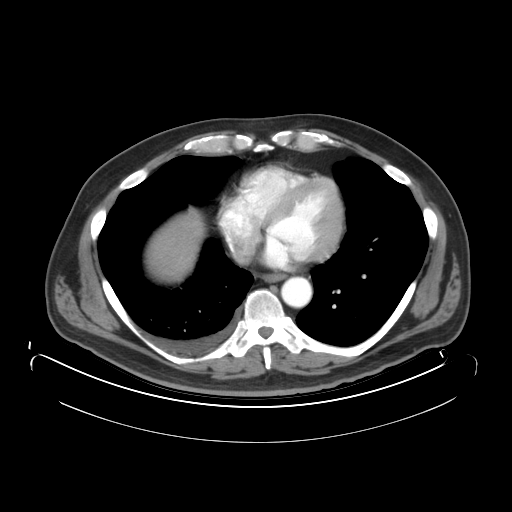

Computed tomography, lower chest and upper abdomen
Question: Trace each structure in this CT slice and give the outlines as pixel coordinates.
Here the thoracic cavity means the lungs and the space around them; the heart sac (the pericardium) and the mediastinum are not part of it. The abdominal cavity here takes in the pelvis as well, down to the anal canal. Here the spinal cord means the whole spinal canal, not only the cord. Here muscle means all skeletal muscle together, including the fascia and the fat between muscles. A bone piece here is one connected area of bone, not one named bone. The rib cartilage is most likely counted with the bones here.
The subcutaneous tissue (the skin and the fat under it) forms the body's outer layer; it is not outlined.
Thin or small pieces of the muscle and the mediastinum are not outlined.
Answer: {"torso":[[[293,113],[330,114],[373,127],[421,157],[444,182],[467,232],[471,271],[467,319],[451,343],[335,389],[285,397],[230,398],[148,383],[65,341],[56,332],[45,304],[48,260],[81,186],[100,165],[153,134],[183,124],[218,117]]],"muscle":[[[125,176],[109,210],[100,206],[89,225],[91,240],[97,243],[101,287],[112,309],[149,348],[175,364],[218,359],[227,354],[241,358],[257,345],[261,347],[264,367],[270,370],[232,379],[182,371],[77,328],[60,314],[54,300],[54,279],[92,209]],[[406,173],[436,203],[447,226],[462,282],[451,317],[441,325],[327,373],[302,375],[271,369],[271,346],[275,343],[295,355],[308,350],[356,357],[377,343],[402,315],[416,289],[416,276],[429,239],[434,240],[438,232],[437,214],[429,205],[421,209]],[[296,127],[305,128],[306,129],[309,128],[319,128],[330,131],[340,136],[347,138],[361,145],[370,151],[382,156],[391,163],[384,163],[381,167],[370,159],[362,157],[359,155],[354,155],[352,153],[350,153],[349,151],[347,151],[345,149],[342,149],[339,147],[330,146],[340,147],[343,143],[339,140],[330,137],[325,133],[316,132],[311,130],[304,130],[303,129],[295,131],[291,129],[291,128],[295,128]],[[227,129],[232,129],[239,132],[232,135],[227,133],[209,134],[187,141],[183,145],[182,149],[184,151],[191,151],[195,154],[184,153],[177,155],[160,165],[149,175],[149,171],[145,167],[140,167],[155,156],[173,147],[189,137],[210,131],[218,131]]],"pericardium":[[[264,160],[285,161],[294,167],[311,168],[325,172],[333,177],[341,192],[345,205],[346,229],[339,247],[329,259],[323,263],[315,265],[307,271],[290,273],[241,266],[228,252],[224,240],[220,235],[215,223],[218,204],[229,189],[234,179],[258,162]]],"bones":[{"outer":[[103,276],[137,329],[182,357],[202,356],[226,340],[256,289],[273,293],[310,337],[349,347],[374,334],[417,282],[395,323],[359,355],[295,354],[275,342],[267,369],[257,344],[241,357],[227,353],[183,364],[165,358],[122,321],[104,293]],"hole":[[261,327],[269,327],[270,328],[271,328],[272,329],[272,332],[270,334],[270,335],[269,335],[267,337],[263,337],[258,332],[258,331],[259,330],[259,329]]},[[287,129],[322,133],[341,142],[340,146],[323,143],[315,150],[302,151],[276,145],[273,149],[265,151],[256,152],[249,148],[230,154],[213,155],[201,155],[183,149],[191,140],[218,134],[232,136],[240,133],[251,137],[256,143],[268,142],[276,132]],[[100,207],[104,207],[106,209],[107,213],[106,214],[106,217],[105,218],[104,224],[97,237],[96,241],[94,242],[92,240],[92,238],[91,237],[91,233],[90,232],[90,225],[91,224],[91,220],[92,219],[92,216],[94,214],[94,213]],[[140,168],[145,168],[148,171],[148,175],[145,179],[144,179],[138,184],[137,184],[130,188],[127,188],[126,189],[124,189],[123,190],[120,190],[119,189],[118,189],[118,186],[119,185],[119,184],[129,174],[130,174],[132,172],[133,172]],[[425,206],[429,206],[434,211],[437,217],[437,232],[436,233],[436,236],[435,238],[432,240],[430,239],[428,236],[427,229],[426,228],[426,226],[425,225],[425,222],[424,221],[424,218],[423,217],[423,213],[422,212],[422,209]],[[384,164],[391,164],[399,168],[401,170],[402,170],[408,176],[408,177],[410,179],[411,181],[411,185],[410,186],[407,186],[402,183],[400,183],[398,182],[396,180],[392,178],[387,173],[386,173],[386,172],[384,171],[384,170],[382,168],[382,166]]],"abdominal_cavity":[[[188,204],[202,205],[201,209],[206,214],[212,225],[213,237],[209,237],[205,240],[201,248],[201,251],[193,273],[179,287],[169,288],[155,285],[146,278],[142,268],[141,254],[144,243],[151,232],[157,226],[173,214],[174,212],[181,210]]],"spinal_cord":[[[261,327],[269,327],[270,328],[271,328],[272,329],[272,332],[270,334],[270,335],[269,335],[267,337],[263,337],[258,332],[258,331],[259,330],[259,329]]],"thoracic_cavity":[[[184,154],[233,156],[242,162],[213,197],[188,203],[150,232],[140,254],[143,275],[155,286],[179,288],[194,273],[206,240],[215,238],[226,257],[253,277],[243,315],[230,335],[213,349],[190,356],[171,353],[143,334],[104,275],[97,242],[119,194]],[[351,156],[370,160],[392,179],[408,187],[421,210],[428,244],[417,274],[380,327],[356,344],[340,346],[310,336],[294,320],[313,298],[314,285],[311,270],[315,266],[325,263],[336,253],[347,231],[346,204],[334,178],[333,168],[337,162],[346,160]]],"mediastinum":[[[276,146],[302,152],[329,146],[353,155],[333,165],[333,176],[285,160],[260,160],[233,179],[217,204],[214,223],[227,252],[238,265],[248,269],[290,274],[310,270],[313,295],[294,319],[269,289],[248,292],[253,275],[236,265],[227,257],[202,209],[243,162],[233,155],[214,155]]]}